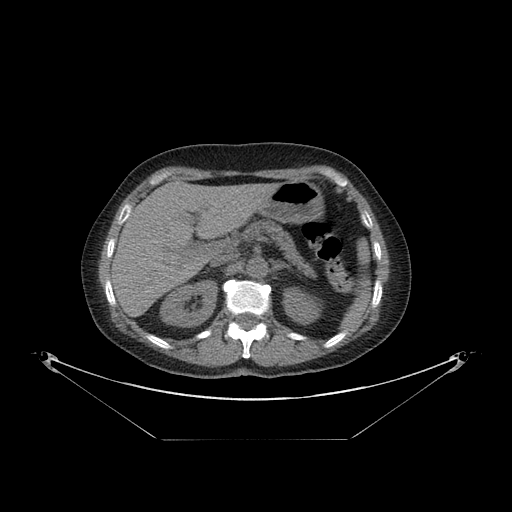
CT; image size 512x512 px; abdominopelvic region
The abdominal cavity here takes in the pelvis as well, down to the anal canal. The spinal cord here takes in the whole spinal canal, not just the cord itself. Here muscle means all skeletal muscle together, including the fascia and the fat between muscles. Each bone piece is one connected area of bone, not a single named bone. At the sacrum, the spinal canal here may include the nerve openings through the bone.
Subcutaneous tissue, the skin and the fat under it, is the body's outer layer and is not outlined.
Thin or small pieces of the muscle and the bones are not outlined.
The spinal cord is outlined by (246, 312) (248, 312) (249, 313) (252, 313) (253, 314) (254, 314) (258, 318) (258, 322) (253, 327) (252, 327) (250, 329) (249, 329) (248, 330) (246, 330) (245, 329) (242, 328) (239, 325) (239, 324) (236, 321) (236, 317) (239, 314) (241, 314) (242, 313) (245, 313). The torso is outlined by (258, 141) (326, 148) (343, 155) (364, 172) (395, 216) (407, 242) (412, 277) (403, 317) (375, 348) (343, 366) (317, 372) (274, 378) (242, 375) (205, 379) (172, 374) (145, 364) (110, 342) (96, 327) (87, 307) (80, 260) (93, 222) (131, 169) (152, 155) (196, 143). The bones appear in 12 outlined pieces: piece 1: (229, 279) (251, 280) (261, 284) (268, 284) (271, 288) (270, 305) (263, 315) (263, 321) (269, 336) (260, 340) (255, 339) (251, 342) (249, 358) (242, 357) (243, 344) (240, 339) (225, 338) (224, 336) (228, 324) (232, 319) (226, 306) (226, 293) (223, 290) (224, 282), around a hole outlined by (246, 312) (248, 312) (249, 313) (252, 313) (253, 314) (254, 314) (258, 318) (258, 322) (253, 327) (252, 327) (250, 329) (249, 329) (248, 330) (246, 330) (245, 329) (242, 328) (239, 325) (239, 324) (236, 321) (236, 317) (239, 314) (241, 314) (242, 313) (245, 313); piece 2: (322, 168) (328, 168) (329, 169) (334, 171) (336, 173) (337, 173) (340, 176) (341, 176) (343, 178) (346, 179) (347, 180) (347, 184) (345, 186) (340, 186) (339, 185) (338, 185) (331, 179) (330, 179) (328, 177) (327, 177) (326, 176) (321, 174) (319, 172) (319, 170); piece 3: (376, 278) (378, 278) (381, 283) (381, 285) (382, 286) (382, 294) (381, 295) (381, 298) (380, 299) (380, 301) (378, 305) (376, 307) (373, 308) (370, 304) (371, 303) (371, 300) (372, 299) (372, 296) (373, 295) (373, 291) (374, 290) (374, 283) (375, 282) (375, 280); piece 4: (146, 333) (150, 333) (160, 338) (162, 338) (165, 341) (166, 341) (169, 344) (170, 344) (172, 346) (172, 348) (170, 348) (169, 349) (166, 349) (165, 348) (162, 348) (156, 345) (154, 343) (150, 341) (146, 337) (145, 337) (145, 335); piece 5: (107, 278) (108, 278) (110, 280) (110, 281) (111, 282) (111, 286) (112, 287) (112, 290) (113, 291) (113, 293) (114, 294) (114, 296) (115, 297) (115, 299) (116, 300) (116, 304) (114, 306) (112, 306) (111, 305) (110, 305) (106, 298) (106, 295) (105, 294) (105, 280); piece 6: (343, 330) (346, 330) (347, 331) (347, 333) (345, 335) (345, 336) (340, 341) (339, 341) (337, 343) (336, 343) (334, 345) (333, 345) (330, 347) (324, 347) (323, 346) (323, 344) (329, 338) (330, 338) (332, 336) (335, 335) (337, 333) (338, 333) (339, 332) (340, 332); piece 7: (126, 203) (129, 203) (132, 206) (132, 208) (131, 209) (130, 214) (129, 215) (129, 216) (125, 220) (125, 221) (124, 221) (123, 222) (123, 223) (122, 224) (118, 224) (117, 223) (117, 221) (118, 220) (118, 217) (119, 216) (120, 211) (121, 210) (122, 207); piece 8: (166, 171) (169, 171) (171, 173) (166, 178) (165, 178) (162, 181) (161, 181) (159, 183) (158, 183) (156, 185) (151, 185) (149, 183) (149, 181) (155, 175) (157, 175) (158, 174) (160, 174) (161, 173) (162, 173) (163, 172) (165, 172); piece 9: (362, 210) (366, 210) (368, 212) (368, 213) (369, 214) (369, 215) (370, 216) (370, 217) (372, 220) (372, 223) (373, 224) (373, 225) (371, 228) (368, 228) (367, 227) (366, 227) (366, 226) (362, 222) (362, 220) (360, 217) (360, 212); piece 10: (111, 238) (115, 238) (115, 239) (116, 240) (115, 241) (115, 245) (114, 246) (113, 253) (112, 254) (111, 257) (110, 258) (109, 258) (108, 257) (107, 257) (107, 255) (106, 254) (106, 253) (107, 252) (107, 245) (108, 244) (108, 242) (109, 241) (109, 240); piece 11: (289, 332) (295, 332) (296, 333) (298, 333) (299, 334) (304, 335) (305, 336) (306, 336) (307, 337) (307, 338) (304, 340) (302, 340) (301, 339) (300, 340) (296, 340) (295, 339) (292, 339) (291, 338) (288, 337) (286, 335) (287, 334) (287, 333) (288, 333); piece 12: (207, 329) (210, 329) (211, 330) (211, 334) (210, 335) (209, 335) (206, 337) (204, 337) (203, 338) (201, 338) (200, 339) (197, 339) (196, 338) (195, 338) (195, 337) (194, 336) (196, 334) (197, 334) (198, 333) (199, 333) (200, 332) (201, 332) (204, 330) (206, 330). The muscle is outlined by (315, 164) (330, 166) (346, 175) (367, 200) (384, 238) (390, 272) (385, 305) (371, 329) (335, 351) (300, 363) (263, 366) (250, 359) (252, 342) (270, 336) (264, 315) (271, 303) (275, 319) (291, 330) (285, 335) (288, 338) (326, 340) (322, 346) (330, 348) (346, 336) (346, 329) (364, 314) (368, 306) (374, 309) (381, 301) (383, 286) (375, 272) (376, 259) (382, 258) (382, 250) (379, 242) (372, 241) (370, 236) (373, 220) (366, 209) (359, 211) (357, 203) (342, 189) (348, 180) (328, 167) (322, 167) (318, 172) (332, 181) (256, 175) (163, 181) (172, 173) (166, 170) (148, 181) (153, 186) (133, 206) (126, 202) (119, 211) (116, 223) (121, 226) (116, 239) (111, 237) (108, 240) (105, 253) (110, 259) (109, 278) (104, 280) (108, 304) (114, 307) (117, 303) (128, 318) (147, 332) (145, 338) (169, 350) (173, 346) (164, 338) (183, 340) (194, 337) (200, 340) (210, 336) (212, 330) (208, 327) (225, 303) (231, 319) (223, 336) (240, 340) (241, 359) (214, 367) (188, 363) (149, 347) (115, 326) (101, 296) (98, 262) (119, 205) (144, 179) (167, 166) (257, 171). The abdominal cavity is outlined by (226, 176) (324, 179) (349, 195) (369, 230) (375, 257) (370, 303) (357, 320) (327, 339) (292, 331) (276, 319) (268, 283) (235, 278) (223, 282) (225, 302) (211, 323) (188, 338) (160, 337) (124, 313) (113, 290) (110, 262) (120, 229) (133, 207) (162, 182).